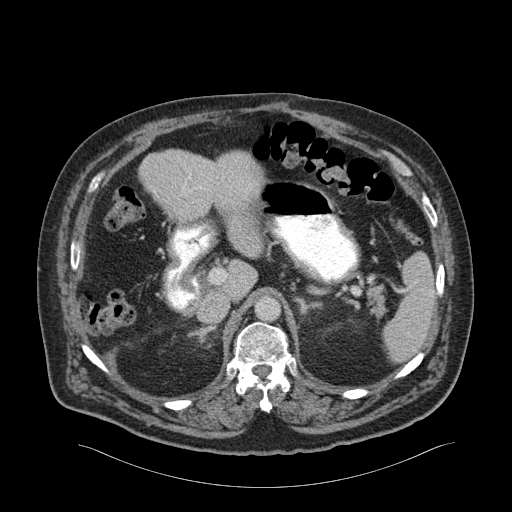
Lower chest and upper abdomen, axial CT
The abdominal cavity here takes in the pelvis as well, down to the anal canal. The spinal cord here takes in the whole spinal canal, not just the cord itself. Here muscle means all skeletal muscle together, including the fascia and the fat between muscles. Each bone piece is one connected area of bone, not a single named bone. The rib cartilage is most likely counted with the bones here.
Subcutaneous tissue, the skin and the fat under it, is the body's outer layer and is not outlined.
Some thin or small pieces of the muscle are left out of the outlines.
Outlined structures:
muscle: [[271,102],[326,115],[384,139],[419,163],[438,190],[455,262],[447,363],[441,380],[383,416],[323,434],[294,431],[270,412],[269,391],[277,386],[284,393],[290,390],[286,371],[298,378],[297,361],[320,380],[355,387],[340,394],[349,400],[366,396],[370,391],[364,386],[391,374],[395,373],[396,380],[411,373],[426,355],[422,348],[437,297],[444,294],[446,272],[442,262],[436,265],[432,246],[431,226],[438,225],[437,212],[424,190],[421,206],[406,191],[402,176],[414,173],[405,161],[385,148],[379,151],[387,160],[374,156],[288,113],[258,110],[160,134],[101,185],[107,171],[100,169],[86,188],[88,194],[98,189],[82,249],[81,241],[70,240],[69,265],[78,271],[75,297],[89,344],[82,342],[80,348],[92,364],[174,411],[191,406],[192,398],[209,391],[224,375],[226,381],[236,380],[234,390],[239,396],[250,388],[261,391],[262,411],[239,434],[204,438],[147,425],[112,405],[75,394],[65,381],[67,338],[55,251],[63,207],[81,172],[148,122]]
torso: [[253,92],[291,92],[335,99],[385,114],[419,133],[446,169],[471,247],[473,318],[462,367],[452,390],[434,411],[410,426],[313,453],[221,455],[139,437],[62,406],[50,389],[37,312],[36,258],[44,210],[68,157],[91,133],[140,108],[190,96]]
spinal cord: [[258,365],[267,365],[268,366],[269,366],[271,368],[271,370],[270,371],[270,372],[264,378],[261,378],[258,375],[257,375],[256,374],[255,374],[253,372],[253,371],[252,370],[253,369],[253,368],[255,366],[257,366]]
bones 1: [[255,321],[277,326],[287,334],[288,350],[295,358],[299,371],[298,377],[285,371],[290,383],[287,392],[279,385],[268,391],[272,405],[269,412],[260,408],[261,390],[250,387],[239,395],[235,390],[237,380],[225,378],[226,365],[234,355],[238,333]] with a hole at [[258,365],[267,365],[268,366],[269,366],[271,368],[271,370],[270,371],[270,372],[264,378],[261,378],[258,375],[257,375],[256,374],[255,374],[253,372],[253,371],[252,370],[253,369],[253,368],[255,366],[257,366]]
bones 2: [[382,149],[385,149],[386,150],[388,150],[392,152],[399,158],[400,158],[404,162],[405,162],[409,166],[413,174],[411,176],[403,176],[399,173],[398,173],[395,170],[394,170],[392,168],[387,158],[381,153],[380,150]]
bones 3: [[422,191],[424,191],[427,194],[436,212],[436,214],[437,215],[437,225],[436,227],[433,227],[431,225],[427,216],[425,214],[422,208],[422,202],[421,201],[421,193]]
bones 4: [[420,351],[422,351],[425,353],[425,355],[422,361],[420,363],[420,364],[416,368],[415,368],[411,372],[410,372],[405,376],[403,376],[402,377],[400,377],[399,378],[397,378],[395,379],[394,378],[394,376],[396,374],[396,373],[398,371],[399,371]]
bones 5: [[73,238],[74,238],[76,240],[81,242],[81,253],[80,254],[80,260],[79,261],[79,263],[78,264],[78,267],[77,268],[77,269],[75,271],[74,270],[72,270],[72,269],[71,268],[71,266],[70,265],[70,243],[71,242],[71,240]]
bones 6: [[82,343],[84,343],[88,345],[93,350],[93,351],[98,356],[98,357],[104,363],[104,365],[105,367],[109,370],[109,373],[106,373],[100,368],[99,368],[93,363],[92,363],[88,359],[88,358],[84,354],[81,348],[81,344]]
bones 7: [[439,263],[442,263],[443,264],[443,267],[444,268],[444,271],[445,272],[445,278],[444,279],[444,290],[443,291],[443,294],[441,297],[440,297],[437,295],[437,290],[436,289],[436,270],[437,269],[437,266]]
bones 8: [[180,399],[191,399],[192,400],[192,404],[191,405],[190,405],[189,406],[188,406],[183,409],[181,409],[180,410],[174,410],[173,409],[170,409],[169,408],[167,408],[166,407],[165,407],[163,405],[163,403],[165,401],[174,401],[175,400],[179,400]]
bones 9: [[357,387],[363,387],[364,388],[367,389],[369,391],[369,392],[366,395],[365,395],[362,397],[360,397],[359,398],[355,398],[354,399],[349,399],[348,398],[345,398],[341,395],[341,394],[345,390],[346,390],[347,389],[353,389],[354,388],[356,388]]
bones 10: [[103,169],[104,169],[106,171],[106,173],[101,180],[101,181],[99,183],[99,185],[98,187],[93,192],[91,193],[88,193],[87,192],[87,188],[88,187],[88,185],[89,184],[89,182],[90,180],[93,177],[94,175],[95,175],[100,170],[102,170]]
abdominal cavity: [[258,111],[305,120],[387,161],[401,176],[430,226],[437,296],[429,333],[421,350],[382,379],[356,387],[330,383],[291,353],[284,306],[262,291],[244,310],[233,355],[209,390],[174,400],[146,396],[106,367],[82,328],[78,268],[98,188],[160,135]]
mediastinum: [[262,292],[270,292],[274,294],[280,300],[283,306],[285,312],[285,315],[288,322],[288,330],[290,333],[288,335],[288,334],[279,326],[261,320],[255,320],[249,322],[242,327],[240,330],[238,329],[238,326],[245,310],[252,300],[257,295]]